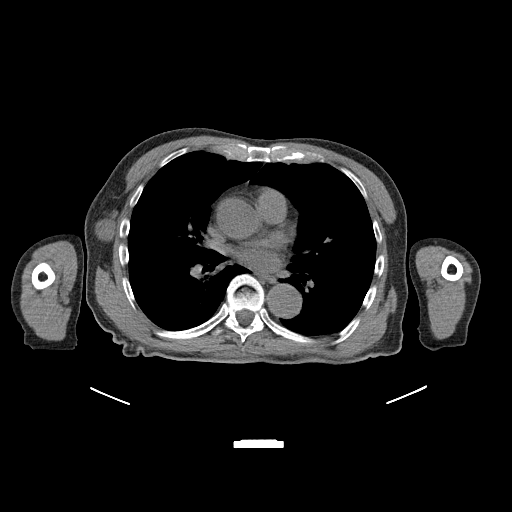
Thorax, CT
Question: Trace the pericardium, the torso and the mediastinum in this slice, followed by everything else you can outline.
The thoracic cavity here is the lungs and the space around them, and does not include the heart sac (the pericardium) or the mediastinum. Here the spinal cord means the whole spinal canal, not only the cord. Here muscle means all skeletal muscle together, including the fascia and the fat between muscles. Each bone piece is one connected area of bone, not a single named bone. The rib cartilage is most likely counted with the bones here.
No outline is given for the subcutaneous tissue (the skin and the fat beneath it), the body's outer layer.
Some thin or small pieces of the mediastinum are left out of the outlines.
Answer: Outlines:
pericardium: [[250,185],[269,186],[278,190],[289,200],[297,213],[296,238],[291,247],[290,255],[287,258],[282,268],[279,270],[266,271],[256,269],[238,261],[237,259],[228,253],[217,249],[212,244],[211,236],[208,231],[208,227],[212,220],[214,206],[226,192]]
torso: [[182,127],[207,127],[263,139],[329,139],[364,152],[386,170],[401,194],[407,215],[408,299],[402,320],[402,345],[397,353],[339,365],[194,361],[141,354],[128,357],[122,353],[122,346],[99,326],[86,301],[86,212],[116,164],[130,149],[152,135]]
mediastinum 1: [[207,227],[211,244],[217,250],[260,271],[281,270],[291,255],[293,246],[293,254],[286,267],[289,274],[281,280],[291,284],[301,294],[300,311],[291,318],[274,319],[264,305],[265,292],[260,282],[247,268],[236,263],[228,263],[225,255],[208,246]]
mediastinum 2: [[246,181],[248,181],[251,184],[242,187],[238,187],[229,191],[226,191],[217,200],[213,206],[213,210],[211,214],[211,220],[209,222],[208,226],[208,223],[211,215],[211,204],[222,192],[228,188],[230,188],[232,186],[235,186],[238,184],[241,184]]
spinal cord: [[243,309],[246,309],[247,310],[249,310],[253,313],[253,317],[252,318],[251,321],[248,324],[247,324],[246,325],[242,325],[240,323],[239,323],[239,322],[236,318],[236,313],[238,311],[239,311],[240,310],[242,310]]
thoracic cavity: [[198,150],[263,165],[327,163],[351,180],[376,256],[361,306],[337,333],[309,336],[275,320],[302,309],[302,294],[282,280],[300,214],[278,189],[248,180],[210,204],[205,238],[249,272],[195,326],[161,328],[142,311],[128,269],[133,208],[160,168]]
bones 1: [[244,273],[261,285],[263,305],[275,321],[291,331],[311,337],[314,342],[302,343],[286,338],[267,326],[252,332],[243,342],[235,331],[224,326],[216,335],[211,331],[190,338],[168,338],[155,334],[158,329],[184,330],[208,320],[225,300],[230,281]], around a hole outlined by [[243,309],[246,309],[247,310],[249,310],[253,313],[253,317],[252,318],[251,321],[248,324],[247,324],[246,325],[242,325],[240,323],[239,323],[239,322],[236,318],[236,313],[238,311],[239,311],[240,310],[242,310]]
bones 2: [[231,143],[243,143],[247,146],[254,145],[264,147],[272,147],[274,145],[281,144],[293,150],[303,152],[312,151],[319,153],[324,157],[325,162],[262,162],[228,159],[221,154],[212,152],[211,149],[213,146],[226,145]]
bones 3: [[40,262],[46,262],[51,267],[51,268],[53,270],[53,271],[55,274],[55,278],[52,282],[52,283],[50,285],[49,285],[42,289],[36,289],[33,286],[33,285],[32,284],[32,282],[31,281],[31,274],[32,273],[32,271],[33,270],[34,267]]
bones 4: [[447,255],[451,255],[455,257],[461,263],[462,265],[462,267],[463,268],[463,272],[461,276],[457,280],[455,280],[454,281],[451,281],[450,280],[448,280],[444,278],[441,274],[441,272],[440,271],[441,270],[441,265],[442,264],[442,262],[444,258]]
bones 5: [[356,316],[358,316],[360,318],[360,321],[359,322],[358,325],[356,327],[356,328],[352,332],[352,333],[344,340],[343,340],[338,343],[336,343],[335,344],[331,344],[331,342],[332,341],[333,341],[338,336],[338,333],[341,330],[342,330]]
bones 6: [[340,167],[344,167],[348,169],[350,171],[351,171],[361,181],[367,193],[367,199],[365,200],[362,194],[360,192],[358,188],[355,185],[355,184],[352,181],[352,180],[350,179],[342,171],[341,171],[339,169]]
bones 7: [[124,276],[128,278],[128,280],[129,281],[129,283],[130,284],[130,286],[131,287],[131,289],[132,290],[132,292],[133,293],[133,295],[135,299],[135,309],[134,309],[131,306],[126,296],[126,294],[124,291],[123,285],[122,284],[122,278]]
bones 8: [[183,147],[187,147],[188,148],[188,151],[187,152],[179,156],[177,156],[175,157],[173,159],[169,161],[166,164],[165,164],[163,166],[159,168],[158,165],[161,161],[161,160],[163,158],[164,158],[168,154],[176,150],[178,150]]
bones 9: [[372,284],[374,284],[375,285],[376,285],[376,292],[375,293],[375,296],[374,297],[374,299],[373,300],[372,303],[370,305],[370,306],[367,309],[365,309],[365,308],[362,306],[362,302],[365,297],[365,295],[366,294],[367,291],[369,289],[370,286]]
bones 10: [[121,243],[123,243],[124,244],[126,244],[127,245],[127,250],[128,251],[128,262],[127,263],[127,264],[126,264],[125,265],[124,265],[123,266],[122,265],[121,265],[121,264],[120,263],[120,260],[119,259],[119,245]]
bones 11: [[380,254],[382,254],[383,255],[383,257],[384,258],[384,265],[383,266],[383,270],[382,271],[382,273],[381,274],[381,275],[380,276],[377,276],[375,274],[374,274],[374,268],[375,267],[375,262],[376,261],[376,257],[378,255],[379,255]]
bones 12: [[141,183],[143,183],[144,184],[144,187],[140,194],[140,196],[139,197],[136,204],[132,208],[131,207],[130,207],[130,205],[129,204],[129,203],[130,202],[130,199],[131,198],[134,191],[136,189],[136,188],[138,186],[138,185]]
bones 13: [[124,217],[126,217],[127,218],[128,218],[129,219],[129,230],[128,231],[128,234],[127,235],[127,236],[126,237],[123,237],[122,238],[121,237],[120,237],[120,236],[119,235],[119,227],[120,226],[120,224],[121,223],[121,221],[122,220],[122,219]]
bones 14: [[373,219],[375,219],[377,221],[377,223],[379,226],[379,228],[380,229],[380,231],[381,232],[381,242],[379,244],[377,244],[377,243],[376,242],[376,239],[375,238],[375,235],[374,234],[374,231],[373,230],[373,225],[372,224],[372,220]]
right arm: [[60,233],[75,233],[77,234],[82,240],[82,246],[84,250],[84,287],[82,289],[80,311],[76,324],[77,344],[74,349],[72,350],[32,349],[23,343],[23,330],[16,320],[11,308],[10,304],[11,280],[19,258],[32,244],[47,236]]
left arm: [[427,237],[447,238],[465,247],[477,261],[481,275],[479,294],[473,315],[468,326],[466,343],[461,346],[444,347],[436,351],[430,350],[423,346],[418,338],[417,326],[419,321],[419,306],[417,295],[411,280],[408,266],[409,250],[412,244],[417,240]]
muscle 1: [[198,135],[234,138],[250,145],[231,142],[213,145],[210,150],[190,151],[183,146],[168,153],[148,181],[137,185],[128,203],[130,218],[124,216],[118,227],[119,237],[126,238],[126,243],[118,245],[119,263],[127,265],[128,270],[128,277],[121,278],[123,291],[130,306],[135,310],[136,303],[160,328],[154,334],[190,339],[208,332],[216,336],[224,327],[235,332],[243,343],[249,335],[267,327],[302,344],[314,343],[312,337],[337,334],[330,342],[335,345],[357,328],[361,321],[358,311],[361,307],[367,310],[376,296],[377,285],[371,284],[372,279],[374,275],[380,277],[384,270],[384,255],[376,254],[382,232],[378,221],[370,216],[366,188],[351,170],[331,165],[316,151],[293,149],[281,143],[268,146],[295,142],[320,146],[360,163],[382,181],[392,200],[395,220],[382,223],[388,251],[386,288],[394,288],[397,303],[377,343],[337,357],[316,353],[224,355],[174,351],[131,340],[105,314],[96,300],[95,274],[98,266],[104,268],[112,263],[113,229],[129,193],[125,192],[126,173],[154,147]]
muscle 2: [[59,240],[68,240],[73,244],[77,256],[77,272],[73,287],[69,293],[69,305],[71,307],[71,311],[66,326],[65,336],[61,340],[47,340],[35,334],[33,329],[28,325],[21,313],[19,305],[21,276],[26,264],[31,258],[32,253],[37,248]], around a hole outlined by [[40,262],[46,262],[51,267],[51,268],[53,270],[53,271],[55,274],[55,278],[52,282],[52,283],[50,285],[49,285],[42,289],[36,289],[33,286],[33,285],[32,284],[32,282],[31,281],[31,274],[32,273],[32,271],[33,270],[34,267]]
muscle 3: [[429,245],[439,245],[461,253],[472,268],[471,274],[472,281],[466,288],[466,302],[463,314],[456,325],[455,331],[450,336],[443,339],[437,339],[433,335],[430,329],[427,308],[427,298],[425,294],[426,286],[420,279],[415,265],[415,255],[418,249]] with a hole at [[447,255],[451,255],[455,257],[461,263],[462,265],[462,267],[463,268],[463,272],[461,276],[457,280],[455,280],[454,281],[451,281],[450,280],[448,280],[444,278],[441,274],[441,272],[440,271],[441,270],[441,265],[442,264],[442,262],[444,258]]